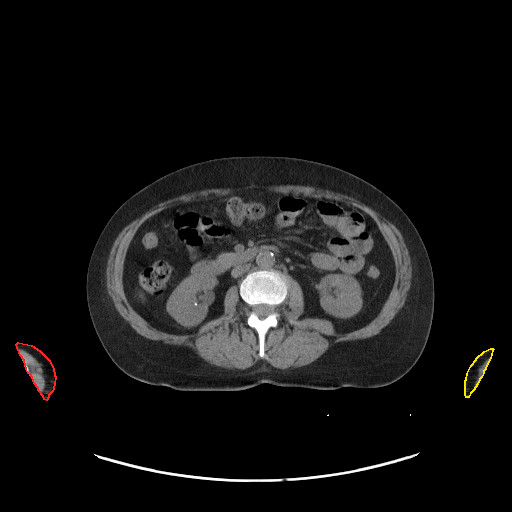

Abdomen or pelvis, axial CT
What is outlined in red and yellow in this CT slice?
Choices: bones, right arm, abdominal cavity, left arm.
red: right arm; yellow: left arm.
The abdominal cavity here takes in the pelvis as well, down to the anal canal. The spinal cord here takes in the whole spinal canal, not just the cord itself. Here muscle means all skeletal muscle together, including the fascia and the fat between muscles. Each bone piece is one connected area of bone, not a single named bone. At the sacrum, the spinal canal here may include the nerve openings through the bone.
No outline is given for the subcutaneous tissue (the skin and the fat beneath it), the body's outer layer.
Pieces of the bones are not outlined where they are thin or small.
Outlines:
right arm: 18,342 31,345 39,350 48,359 53,368 54,375 55,376 54,384 52,391 48,395 48,397 46,400 44,399 43,396 38,390 38,388 34,383 32,377 30,374 28,373 26,369 24,360 20,355 16,344
left arm: 490,348 492,348 493,349 492,350 490,358 485,367 485,369 483,371 483,373 481,377 479,379 477,384 473,390 470,393 468,397 466,397 465,395 465,380 466,379 467,373 471,365 476,359 476,358 484,351
muscle 1: 251,184 262,185 263,186 270,186 271,185 303,185 304,186 312,186 316,188 330,190 334,192 345,194 357,199 360,202 370,207 382,217 391,222 399,230 403,237 411,261 411,270 412,271 411,272 411,283 410,284 410,287 407,292 406,299 403,306 398,311 390,322 385,326 379,333 367,338 341,341 333,345 331,345 328,349 317,359 307,365 300,367 296,367 295,368 290,367 286,369 281,369 274,367 265,360 261,359 252,366 245,369 238,369 237,368 229,369 224,367 211,365 207,363 199,357 193,349 189,347 183,345 168,344 167,343 164,343 160,340 152,340 146,338 137,333 130,324 119,314 115,308 112,299 107,292 107,287 106,286 106,267 107,266 107,261 112,245 119,233 125,226 135,219 140,217 145,212 155,206 158,203 165,201 168,199 177,197 183,194 195,192 204,189 210,189 211,188 242,188; inner edge: 252,188 345,201 374,220 390,249 394,279 369,322 337,332 328,319 302,317 304,294 287,275 287,295 275,308 278,323 265,335 262,358 237,284 226,290 223,312 194,333 158,329 132,307 124,262 147,219
muscle 2: 18,348 23,348 42,363 45,369 45,385 40,392 38,390 38,388 34,383 32,379 32,377 29,373 29,367 26,363 24,363 24,360 20,355 20,353 18,350
muscle 3: 490,355 491,355 490,356 490,358 485,367 485,369 483,371 483,373 481,377 479,379 477,384 474,388 473,387 473,385 476,379 476,376 477,375 477,372 478,371 478,369 481,363 488,356
torso: 240,155 298,157 341,168 381,190 412,221 431,263 434,309 425,347 402,377 373,388 324,390 261,383 235,391 184,391 139,381 124,373 109,357 94,329 86,298 88,263 105,224 125,200 159,177 199,161
bones: 271,269 277,270 285,276 287,281 287,295 286,298 275,308 278,313 278,323 275,327 270,327 265,335 265,357 262,358 258,354 259,344 257,332 254,328 247,324 249,307 240,296 239,284 246,275 252,271 with a hole at 258,304 267,304 268,305 269,305 270,306 271,306 272,307 272,311 271,312 271,313 270,313 267,316 266,316 264,318 259,318 258,317 258,316 255,313 255,312 252,310 252,307 254,305 257,305
abdominal cavity: 252,188 345,201 374,220 390,249 394,279 369,322 337,332 328,319 302,317 300,285 273,268 252,270 238,285 231,285 223,297 223,312 194,333 158,329 132,307 124,289 124,262 134,235 147,219 181,203
spinal cord: 258,304 267,304 268,305 269,305 270,306 271,306 272,307 272,311 271,312 271,313 270,313 267,316 266,316 264,318 259,318 258,317 258,316 255,313 255,312 252,310 252,307 254,305 257,305